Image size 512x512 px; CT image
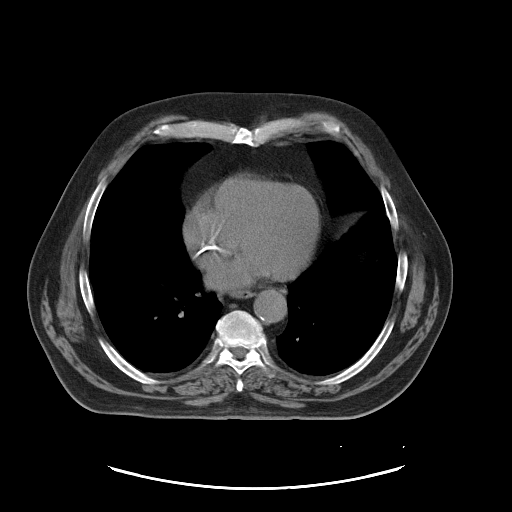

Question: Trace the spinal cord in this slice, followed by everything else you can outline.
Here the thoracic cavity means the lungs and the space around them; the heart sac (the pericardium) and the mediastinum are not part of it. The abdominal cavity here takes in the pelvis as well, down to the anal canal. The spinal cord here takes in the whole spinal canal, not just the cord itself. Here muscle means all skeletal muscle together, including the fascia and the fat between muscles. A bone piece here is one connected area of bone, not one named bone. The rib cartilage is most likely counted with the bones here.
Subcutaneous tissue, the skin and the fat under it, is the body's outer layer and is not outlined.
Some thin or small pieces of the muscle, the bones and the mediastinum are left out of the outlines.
Answer: The spinal cord is outlined by 236,347 242,347 243,348 244,348 247,350 247,351 246,352 246,353 245,354 245,355 243,358 242,358 241,359 239,359 238,358 236,358 234,356 234,354 232,351 232,349 233,349. The bones appear in 9 outlined pieces: piece 1: 233,310 246,311 259,322 276,365 270,369 274,373 273,377 268,377 258,366 248,367 239,376 243,383 242,390 239,392 236,389 238,375 231,366 225,364 214,367 212,363 200,365 217,335 215,326 218,319; inner edge: 236,347 242,347 243,348 244,348 247,350 247,351 246,352 246,353 245,354 245,355 243,358 242,358 241,359 239,359 238,358 236,358 234,356 234,354 232,351 232,349 233,349; piece 2: 287,117 299,118 304,121 305,124 293,132 285,133 280,137 258,146 251,146 245,143 232,143 215,138 161,137 152,132 156,127 163,124 189,120 204,120 225,124 234,123 238,127 243,126 253,130 271,120; piece 3: 390,318 394,318 394,325 391,330 390,334 377,354 361,371 347,380 337,384 317,384 316,383 316,382 319,380 321,380 328,377 331,377 341,372 355,363 373,344 379,335 381,330 383,328 383,326 386,320; piece 4: 98,337 101,337 106,341 109,342 117,351 117,352 128,363 132,365 135,368 153,378 155,378 162,381 162,382 161,383 156,383 155,384 145,384 144,383 141,383 128,376 120,370 109,359 100,345 98,341; piece 5: 103,177 105,177 107,182 107,185 100,198 100,200 98,203 98,205 96,208 96,210 94,214 94,217 91,225 91,230 90,231 89,240 85,240 83,236 83,222 84,221 85,212 87,208 88,202 93,191; piece 6: 80,267 82,267 87,272 87,274 88,275 88,280 89,281 90,288 92,292 93,302 95,307 95,312 92,317 91,317 86,309 86,307 84,304 84,302 81,295 80,288 79,287 78,272; piece 7: 380,185 383,185 388,191 395,206 396,212 397,213 397,218 398,219 398,229 397,230 393,230 392,229 391,225 390,224 390,221 386,214 384,202 383,201 383,199 382,198 382,196 379,189; piece 8: 401,251 404,251 407,254 407,257 408,258 408,262 407,263 407,274 406,275 406,279 405,280 404,287 402,291 401,292 399,292 397,290 395,290 395,282 396,281 396,276 397,275 397,256 398,255 398,253; piece 9: 322,121 331,121 332,122 333,122 336,124 338,124 338,125 339,126 339,138 338,138 337,139 336,138 335,138 333,136 332,136 331,135 330,135 327,133 325,133 323,131 322,131 322,130 320,128 320,123. The mediastinum appears in 2 outlined pieces: piece 1: 323,139 305,147 322,179 328,207 365,212 354,215 334,239 328,238 312,263 322,241 324,209 322,199 305,180 287,172 239,167 206,182 184,211 176,185 184,167 211,146 197,141 157,142 205,140 268,147; piece 2: 287,283 289,283 287,284 287,323 283,331 274,338 274,341 272,339 267,338 260,322 246,310 233,309 221,316 223,306 218,299 215,292 236,292 237,291 261,288 264,286 271,286 275,284 286,284. The abdominal cavity is outlined by 357,215 359,215 359,219 353,225 352,225 347,231 345,232 345,233 342,234 340,237 337,239 335,239 336,236 338,233 340,232 342,228 343,228 344,226 345,226 346,224 347,224 348,222 354,217 354,216. The thoracic cavity appears in 2 outlined pieces: piece 1: 171,142 197,142 210,146 183,167 174,190 183,208 181,236 187,254 201,275 203,289 214,292 222,307 214,326 216,335 199,362 173,372 146,373 118,352 100,321 88,274 90,236 108,184 132,154 147,143; piece 2: 330,139 342,142 351,150 379,190 397,254 396,275 386,319 368,349 333,375 312,375 276,360 268,340 274,342 287,326 288,284 319,257 328,239 340,238 366,212 362,207 331,209 328,205 323,179 306,145. The pericardium is outlined by 239,168 287,173 301,178 315,190 321,199 323,209 323,229 321,241 319,243 319,249 311,263 292,281 236,291 208,291 203,286 202,275 192,262 183,240 182,224 184,220 184,212 190,200 206,183 216,176. The torso is outlined by 199,91 299,92 335,98 361,109 385,132 435,218 448,244 453,265 449,311 417,376 401,394 381,408 351,419 147,418 91,411 76,402 58,380 35,335 27,306 27,273 37,242 74,170 112,119 150,101. The muscle appears in 3 outlined pieces: piece 1: 304,111 321,111 337,117 371,150 388,176 420,244 428,288 433,285 435,269 438,305 426,337 381,382 339,400 307,407 284,407 260,401 243,392 244,383 240,376 255,366 268,378 273,378 275,373 271,369 277,367 275,360 302,374 332,375 317,380 317,385 337,385 361,372 392,332 395,318 387,317 394,292 401,293 405,287 409,262 408,254 404,250 397,253 395,248 393,231 399,229 399,219 391,194 383,184 378,187 374,183 360,163 360,154 356,149 350,149 333,138 259,146 299,130 306,122 299,117 287,116 271,119 253,129 246,127 269,117; inner edge: 322,121 331,121 332,122 333,122 336,124 338,124 338,125 339,126 339,138 338,138 337,139 336,138 335,138 333,136 332,136 331,135 330,135 327,133 325,133 323,131 322,131 322,130 320,128 320,123; piece 2: 91,193 82,222 88,268 80,266 77,279 86,311 96,312 109,340 97,337 108,359 145,385 163,382 147,374 226,365 237,375 237,394 197,406 113,393 90,383 53,344 40,315 44,282 57,291 64,244; piece 3: 167,114 181,114 188,116 192,119 197,118 204,119 189,119 171,123 163,123 156,126 151,131 153,135 161,138 170,138 171,139 193,139 194,138 215,139 232,144 245,144 250,146 225,144 205,139 175,139 174,140 166,140 156,142 147,142 142,144 131,154 109,183 108,183 106,177 103,176 93,190 98,174 107,163 115,150 148,122 162,115.